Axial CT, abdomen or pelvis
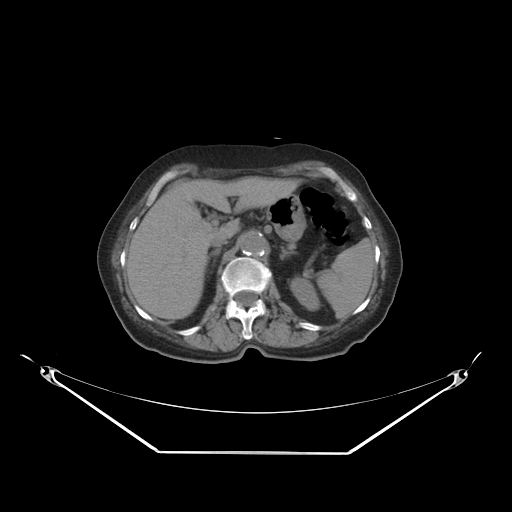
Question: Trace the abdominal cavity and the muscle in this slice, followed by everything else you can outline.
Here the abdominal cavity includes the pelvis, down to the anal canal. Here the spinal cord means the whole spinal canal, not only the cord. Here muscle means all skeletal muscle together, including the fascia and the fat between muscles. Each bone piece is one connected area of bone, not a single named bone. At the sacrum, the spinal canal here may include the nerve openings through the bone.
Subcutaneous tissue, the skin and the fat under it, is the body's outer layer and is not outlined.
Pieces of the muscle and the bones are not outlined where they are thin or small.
Answer: abdominal cavity: [[248,172],[328,179],[359,213],[373,244],[375,267],[368,295],[351,313],[331,324],[306,320],[282,300],[271,270],[247,255],[235,256],[225,264],[216,279],[212,301],[195,325],[170,327],[136,303],[125,276],[128,243],[162,188],[182,175],[216,177]]
muscle 1: [[337,172],[361,193],[388,242],[389,258],[378,305],[354,330],[316,346],[283,348],[245,340],[233,350],[214,352],[186,347],[156,335],[123,310],[111,263],[112,250],[128,212],[161,175],[147,196],[147,209],[139,219],[135,216],[130,221],[128,229],[132,233],[126,249],[119,255],[135,302],[133,307],[143,319],[157,320],[181,336],[194,334],[201,329],[198,324],[213,301],[218,278],[227,293],[224,316],[240,321],[241,336],[245,340],[253,337],[254,320],[269,314],[261,295],[272,277],[281,300],[305,320],[297,323],[302,329],[318,331],[322,325],[361,312],[371,299],[380,247],[367,233],[372,228],[371,221],[366,215],[361,216],[350,201],[356,202],[357,194]]
muscle 2: [[305,160],[318,160],[322,161],[330,166],[331,167],[319,166],[317,168],[317,170],[323,176],[328,178],[325,178],[322,176],[310,176],[299,173],[298,174],[280,174],[279,173],[260,173],[251,171],[216,176],[213,175],[211,176],[198,176],[192,174],[182,174],[176,176],[178,174],[178,171],[175,169],[168,170],[162,174],[171,166],[184,162],[193,162],[204,167],[237,169],[238,168],[266,168],[287,165]]
muscle 3: [[331,180],[332,180],[333,181],[334,181],[335,182],[336,182],[337,183],[337,184],[341,188],[341,189],[342,190],[342,191],[344,193],[344,194],[345,195],[345,196],[340,191],[339,191],[337,189],[337,188],[334,185],[334,184],[332,182],[332,181]]
spinal cord: [[240,291],[252,291],[253,292],[254,292],[257,295],[257,298],[255,300],[255,301],[254,302],[254,304],[253,305],[252,305],[249,307],[243,307],[242,306],[241,306],[240,305],[239,305],[235,299],[235,295],[238,292],[239,292]]
torso: [[232,142],[302,142],[336,152],[361,171],[392,221],[403,258],[393,302],[383,321],[346,353],[315,361],[288,361],[267,358],[248,348],[236,361],[196,363],[143,348],[131,339],[115,315],[99,278],[96,251],[107,221],[135,178],[172,149],[194,143]]
bones 1: [[238,256],[247,256],[258,260],[270,270],[272,275],[266,288],[260,295],[266,305],[268,314],[259,315],[253,320],[251,325],[252,337],[250,339],[245,339],[242,336],[243,326],[238,318],[226,318],[225,316],[228,293],[220,277],[226,264]], around a hole outlined by [[240,291],[252,291],[253,292],[254,292],[257,295],[257,298],[255,300],[255,301],[254,302],[254,304],[253,305],[252,305],[249,307],[243,307],[242,306],[241,306],[240,305],[239,305],[235,299],[235,295],[238,292],[239,292]]
bones 2: [[319,167],[329,167],[333,169],[345,182],[345,183],[347,184],[347,185],[349,186],[350,188],[356,194],[356,196],[357,197],[357,200],[356,201],[352,201],[350,200],[346,196],[342,188],[338,184],[338,183],[336,181],[323,175],[318,170],[318,168]]
bones 3: [[172,170],[177,171],[177,174],[175,177],[169,180],[161,188],[161,189],[158,192],[155,199],[152,202],[152,203],[149,206],[148,206],[146,204],[146,201],[148,198],[148,196],[150,192],[152,190],[156,182],[162,175],[163,175],[166,172],[171,171]]
bones 4: [[305,321],[307,321],[308,322],[311,322],[314,324],[318,324],[319,325],[321,325],[321,328],[318,330],[309,330],[308,329],[305,329],[304,328],[302,328],[299,326],[299,325],[298,324],[298,323],[299,322],[304,322]]
bones 5: [[196,325],[198,325],[199,326],[200,326],[200,329],[199,330],[196,331],[194,333],[193,333],[190,335],[181,335],[180,334],[177,333],[177,330],[181,330],[182,329],[186,329],[187,328],[189,328],[190,327],[192,327],[193,326],[195,326]]
bones 6: [[135,304],[139,306],[140,308],[141,308],[146,313],[147,313],[150,316],[151,316],[151,317],[153,318],[153,320],[152,321],[150,321],[147,319],[145,319],[143,318],[137,312],[137,311],[135,309],[134,307],[134,305]]
bones 7: [[368,296],[370,296],[370,299],[369,300],[369,302],[367,304],[367,305],[361,311],[360,311],[359,312],[358,312],[356,314],[352,314],[352,312],[358,306],[359,306],[360,305],[360,304],[361,304],[362,303],[362,302],[363,302],[364,301],[364,300]]